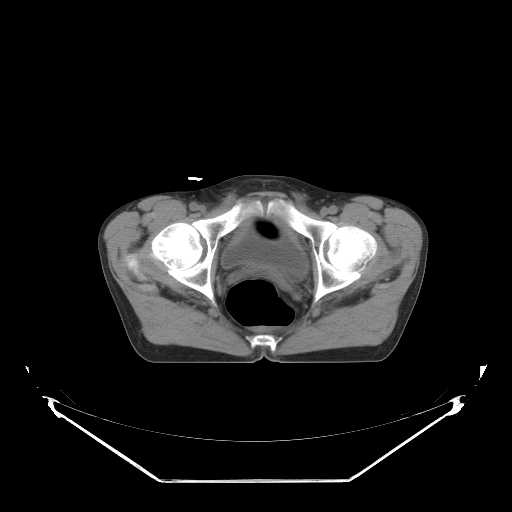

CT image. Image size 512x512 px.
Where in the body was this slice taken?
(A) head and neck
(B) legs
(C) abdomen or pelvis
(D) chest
(C) abdomen or pelvis
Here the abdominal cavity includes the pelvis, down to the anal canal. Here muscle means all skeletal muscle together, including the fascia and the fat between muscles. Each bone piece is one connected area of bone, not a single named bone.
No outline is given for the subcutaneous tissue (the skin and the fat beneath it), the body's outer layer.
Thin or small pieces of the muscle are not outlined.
{"abdominal_cavity":[[[265,212],[267,215],[274,214],[280,217],[299,234],[298,237],[309,250],[312,271],[311,293],[313,296],[307,310],[291,325],[275,333],[252,334],[235,325],[224,314],[217,301],[216,281],[220,265],[218,259],[228,238],[227,234],[234,230],[246,217]]],"torso":[[[242,174],[284,175],[333,191],[383,195],[404,203],[421,217],[429,237],[422,285],[404,331],[385,359],[366,364],[281,364],[265,358],[251,364],[186,364],[151,363],[135,352],[102,272],[97,249],[102,222],[113,210],[136,198],[163,191],[195,190]]],"muscle":[{"outer":[[254,191],[294,193],[313,207],[358,195],[371,196],[406,211],[416,220],[422,232],[418,268],[384,341],[373,346],[286,355],[257,350],[252,355],[238,356],[159,345],[145,338],[108,265],[103,234],[109,222],[146,197],[167,195],[215,203],[229,194]],"holes":[[[239,198],[257,198],[265,207],[275,198],[290,200],[314,219],[357,226],[377,242],[358,279],[312,299],[299,319],[270,334],[282,338],[274,351],[252,348],[246,336],[254,335],[235,325],[217,301],[213,305],[148,255],[152,239],[167,225],[214,217]],[[134,252],[135,253],[137,253],[139,255],[139,257],[138,258],[138,269],[139,271],[144,276],[144,278],[142,279],[136,276],[129,269],[128,269],[128,268],[126,266],[126,264],[124,260],[125,258],[125,256],[127,254],[129,254],[130,253],[133,253]]]},[[226,235],[227,235],[227,238],[225,241],[225,243],[223,245],[223,247],[221,248],[219,252],[217,259],[219,262],[219,265],[217,269],[217,278],[215,281],[215,297],[215,293],[213,289],[212,281],[211,280],[212,262],[215,252],[218,247],[220,239]],[[300,234],[309,240],[312,249],[311,251],[313,254],[315,260],[315,263],[316,264],[317,279],[316,280],[316,287],[313,294],[312,293],[312,290],[313,289],[312,258],[310,254],[310,250],[306,247],[304,242],[299,237]]],"bones":[[[239,198],[257,198],[265,207],[275,198],[290,200],[314,219],[357,226],[374,237],[376,253],[358,279],[313,303],[318,274],[310,240],[274,213],[253,213],[218,241],[210,268],[215,306],[148,254],[152,239],[167,225],[214,217]],[[256,334],[270,334],[276,339],[279,337],[281,337],[282,339],[280,341],[278,341],[277,342],[276,344],[276,347],[274,351],[271,351],[270,350],[270,347],[267,345],[256,345],[253,348],[252,348],[250,345],[249,341],[246,338],[246,336],[252,337]],[[134,252],[135,253],[137,253],[139,255],[139,257],[138,258],[138,269],[139,271],[144,276],[144,278],[142,279],[136,276],[129,269],[128,269],[128,268],[126,266],[126,264],[124,260],[125,258],[125,256],[127,254],[129,254],[130,253],[133,253]]]}